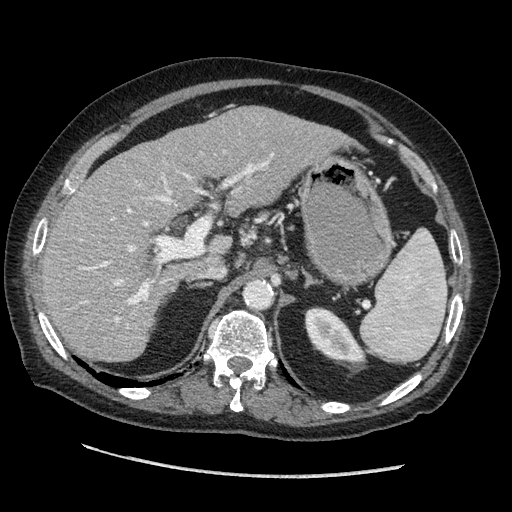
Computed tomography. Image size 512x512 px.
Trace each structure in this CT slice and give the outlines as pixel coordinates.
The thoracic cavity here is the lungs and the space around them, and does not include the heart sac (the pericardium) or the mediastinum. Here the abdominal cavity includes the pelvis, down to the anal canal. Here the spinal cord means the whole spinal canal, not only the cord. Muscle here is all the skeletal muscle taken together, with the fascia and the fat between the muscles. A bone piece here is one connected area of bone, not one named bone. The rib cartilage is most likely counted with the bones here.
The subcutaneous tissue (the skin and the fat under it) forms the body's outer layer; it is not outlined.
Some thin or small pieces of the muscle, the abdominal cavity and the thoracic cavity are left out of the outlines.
{"thoracic_cavity":[[[73,356],[85,362],[96,372],[103,372],[114,376],[119,376],[122,378],[137,380],[140,382],[156,380],[164,378],[170,374],[178,372],[179,373],[184,370],[185,371],[179,376],[148,387],[115,387],[98,379],[83,366],[80,365],[73,358]],[[279,359],[282,365],[285,368],[285,369],[287,371],[289,375],[291,376],[292,378],[293,378],[293,379],[297,383],[297,384],[300,388],[298,387],[296,387],[292,384],[291,384],[284,377],[284,376],[282,374],[282,372],[279,366]]],"spinal_cord":[[[235,356],[238,356],[239,357],[243,357],[244,358],[246,358],[247,359],[250,360],[252,363],[251,366],[249,368],[248,368],[247,369],[246,369],[245,370],[244,370],[243,371],[242,371],[239,373],[236,373],[228,365],[228,361],[231,358],[232,358]]],"mediastinum":[[[257,277],[269,277],[278,287],[278,298],[272,320],[273,346],[275,351],[272,351],[269,347],[267,340],[267,329],[262,318],[244,308],[235,308],[230,310],[228,313],[223,314],[215,326],[207,347],[203,349],[205,334],[212,317],[246,280]],[[414,169],[415,169],[418,172],[419,175],[422,178],[423,181],[427,185],[428,185],[429,186],[429,188],[428,188],[426,186],[425,186],[422,183],[421,183],[421,182],[419,180],[419,178],[418,177],[417,174],[414,171]]],"muscle":[[[247,77],[314,84],[369,105],[434,163],[451,193],[467,234],[472,265],[464,327],[440,381],[392,411],[307,427],[281,425],[241,413],[243,383],[253,380],[253,387],[261,390],[268,378],[267,367],[274,373],[279,367],[291,385],[322,400],[319,407],[329,414],[347,412],[352,403],[387,392],[377,404],[390,404],[421,382],[420,370],[443,337],[445,346],[450,343],[464,310],[461,293],[453,295],[457,265],[464,260],[461,241],[441,213],[433,194],[439,186],[426,163],[393,137],[372,134],[368,120],[355,109],[290,85],[246,85],[199,94],[150,116],[129,131],[121,125],[104,134],[72,166],[59,191],[67,197],[65,201],[49,223],[45,215],[39,219],[32,238],[31,254],[39,255],[43,306],[36,315],[60,357],[66,361],[70,355],[98,380],[132,400],[147,398],[152,393],[149,387],[179,377],[199,360],[212,361],[213,385],[221,387],[222,377],[228,378],[234,390],[228,407],[239,413],[173,415],[112,400],[52,367],[30,332],[20,291],[26,233],[70,156],[105,127],[166,93],[201,82]]],"torso":[[[207,56],[251,57],[345,71],[377,80],[423,106],[461,147],[496,241],[501,275],[483,337],[462,378],[434,411],[360,436],[288,441],[240,433],[141,427],[95,413],[34,384],[22,361],[3,287],[6,233],[23,184],[52,141],[88,103],[155,68]]],"abdominal_cavity":[[[264,85],[355,110],[430,188],[457,281],[443,336],[427,361],[366,401],[310,395],[275,352],[279,287],[269,276],[246,279],[227,298],[207,324],[203,350],[179,372],[140,381],[72,356],[40,296],[40,253],[54,216],[94,162],[150,117],[199,95]]],"bones":[{"outer":[[235,309],[244,309],[261,318],[268,347],[278,359],[274,372],[266,367],[267,378],[261,389],[254,387],[253,379],[242,383],[240,412],[229,407],[235,393],[229,378],[222,376],[221,386],[214,385],[213,361],[204,362],[198,357],[208,347],[222,316]],"hole":[[235,356],[238,356],[239,357],[243,357],[244,358],[246,358],[247,359],[250,360],[252,363],[251,366],[249,368],[248,368],[247,369],[246,369],[245,370],[244,370],[243,371],[242,371],[239,373],[236,373],[228,365],[228,361],[231,358],[232,358]]},[[121,126],[123,126],[122,130],[124,132],[127,130],[128,130],[128,132],[121,139],[117,141],[93,162],[87,173],[77,186],[75,191],[68,196],[62,194],[60,191],[63,182],[73,166],[77,162],[78,159],[97,140],[104,135],[118,129]],[[376,134],[391,137],[398,143],[399,142],[402,143],[414,152],[425,163],[430,170],[438,186],[438,191],[436,193],[434,193],[431,190],[430,186],[424,181],[419,172],[400,153],[396,145],[389,145],[384,141],[382,141],[381,139],[376,137],[375,136]],[[456,293],[460,293],[461,295],[462,302],[463,303],[463,310],[461,313],[461,316],[459,320],[459,323],[456,328],[456,330],[451,340],[447,345],[445,345],[444,344],[444,330],[446,325],[446,321],[448,317],[448,313],[449,312],[451,301],[453,296]],[[37,310],[41,310],[43,311],[47,316],[47,318],[50,324],[52,326],[54,331],[56,333],[62,345],[69,355],[68,359],[65,360],[61,356],[60,356],[52,347],[52,346],[48,341],[40,325],[40,322],[39,321],[39,319],[37,315]],[[417,372],[420,372],[422,374],[422,376],[423,377],[420,382],[413,389],[412,389],[405,395],[402,396],[400,398],[390,403],[388,403],[382,406],[380,406],[378,404],[379,402],[381,400],[382,400],[392,390],[393,390],[400,384],[410,378]],[[44,216],[47,217],[48,219],[48,229],[47,230],[47,233],[46,234],[45,240],[44,241],[44,243],[43,244],[43,246],[42,247],[41,251],[38,255],[34,256],[32,254],[32,245],[33,244],[33,238],[34,237],[34,233],[40,219]],[[451,228],[454,228],[455,229],[460,241],[460,244],[461,245],[461,248],[462,249],[462,255],[463,256],[463,260],[462,261],[461,265],[458,265],[454,263],[452,259],[452,255],[450,251],[450,244],[449,243],[449,238],[450,237],[449,229]],[[120,387],[146,387],[147,388],[150,389],[150,390],[151,391],[151,393],[147,397],[146,397],[145,398],[143,398],[142,399],[132,399],[131,398],[129,398],[128,397],[126,397],[125,396],[122,395],[120,393],[119,393],[118,392],[117,389]],[[328,401],[339,401],[340,402],[345,402],[346,403],[348,403],[350,404],[350,406],[351,407],[349,410],[347,411],[345,411],[344,412],[341,412],[340,413],[329,413],[328,412],[326,412],[324,411],[320,407],[320,405],[321,403],[323,402],[327,402]]]}